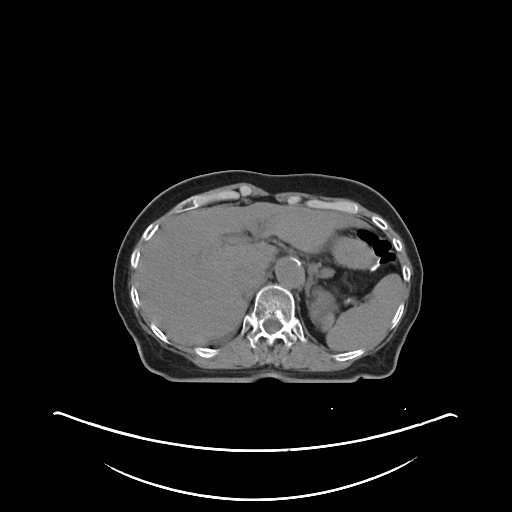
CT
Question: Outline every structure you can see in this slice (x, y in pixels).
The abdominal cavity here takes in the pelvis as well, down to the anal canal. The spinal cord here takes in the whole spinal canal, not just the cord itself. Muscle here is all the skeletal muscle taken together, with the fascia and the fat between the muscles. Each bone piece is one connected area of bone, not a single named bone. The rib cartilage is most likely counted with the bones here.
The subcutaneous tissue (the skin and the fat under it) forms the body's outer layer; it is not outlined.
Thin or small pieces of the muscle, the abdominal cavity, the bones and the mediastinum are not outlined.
Answer: Outlined structures:
spinal cord: (268, 319) (277, 319) (278, 320) (278, 321) (281, 324) (281, 327) (278, 330) (277, 330) (275, 332) (273, 332) (272, 333) (269, 333) (264, 328) (264, 326) (263, 325) (263, 323) (266, 320) (267, 320)
torso: (230, 169) (346, 177) (369, 185) (393, 205) (416, 244) (423, 267) (423, 283) (418, 315) (391, 374) (382, 378) (359, 378) (350, 383) (285, 383) (275, 378) (250, 383) (172, 382) (145, 367) (113, 298) (113, 270) (122, 239) (139, 212) (166, 188) (196, 175)
bones 1: (275, 283) (292, 293) (295, 302) (295, 316) (301, 323) (307, 340) (303, 342) (297, 338) (288, 348) (280, 338) (269, 345) (265, 338) (260, 337) (253, 348) (247, 338) (251, 327) (249, 326) (243, 334) (240, 333) (244, 317) (251, 312) (258, 290) (267, 284), around a hole outlined by (268, 319) (277, 319) (278, 320) (278, 321) (281, 324) (281, 327) (278, 330) (277, 330) (275, 332) (273, 332) (272, 333) (269, 333) (264, 328) (264, 326) (263, 325) (263, 323) (266, 320) (267, 320)
bones 2: (242, 186) (246, 186) (251, 190) (248, 195) (245, 195) (244, 196) (242, 195) (236, 199) (224, 199) (223, 200) (214, 201) (207, 203) (204, 205) (201, 205) (193, 209) (175, 212) (174, 207) (179, 202) (192, 195) (195, 194) (215, 193) (224, 190) (238, 190) (239, 188)
bones 3: (309, 199) (318, 199) (319, 200) (321, 200) (322, 201) (326, 201) (327, 202) (332, 202) (333, 201) (353, 201) (354, 202) (356, 202) (359, 205) (359, 210) (357, 213) (351, 213) (346, 211) (341, 211) (337, 209) (323, 208) (322, 207) (311, 207) (305, 203) (305, 201)
bones 4: (359, 348) (363, 348) (364, 349) (364, 352) (361, 355) (357, 357) (355, 357) (354, 358) (351, 358) (350, 359) (344, 360) (343, 361) (338, 361) (334, 359) (331, 356) (332, 354) (337, 354) (338, 353) (348, 352) (349, 351) (352, 351) (353, 350) (355, 350)
bones 5: (197, 346) (198, 346) (199, 347) (207, 347) (208, 348) (215, 348) (216, 349) (218, 349) (218, 352) (215, 355) (214, 355) (213, 356) (212, 356) (211, 357) (203, 357) (202, 356) (200, 356) (199, 355) (198, 355) (194, 351) (194, 347) (196, 347)
bones 6: (152, 222) (157, 222) (159, 224) (159, 225) (158, 226) (158, 227) (157, 228) (157, 229) (154, 232) (154, 233) (151, 236) (151, 237) (149, 239) (148, 239) (147, 240) (144, 240) (142, 238) (142, 233) (144, 231) (144, 230) (146, 228) (146, 227) (150, 223) (151, 223)
bones 7: (401, 302) (402, 302) (404, 304) (404, 309) (403, 310) (402, 315) (401, 316) (398, 323) (393, 328) (390, 328) (390, 325) (391, 324) (391, 321) (392, 320) (392, 318) (393, 317) (393, 316) (394, 315) (394, 314) (395, 313) (395, 312) (396, 311) (399, 304)
bones 8: (132, 285) (134, 285) (135, 286) (135, 287) (137, 290) (137, 292) (138, 293) (138, 296) (139, 297) (139, 299) (140, 300) (140, 305) (138, 308) (136, 308) (133, 305) (133, 304) (132, 303) (132, 301) (131, 300) (131, 298) (130, 297) (130, 288)
bones 9: (151, 322) (153, 322) (161, 330) (161, 331) (167, 337) (167, 338) (168, 339) (168, 340) (170, 342) (170, 343) (169, 344) (168, 343) (166, 343) (165, 342) (164, 342) (161, 339) (160, 339) (153, 332) (153, 331) (151, 329) (151, 328) (150, 327) (150, 323)
bones 10: (372, 215) (378, 215) (379, 216) (380, 216) (382, 218) (383, 218) (384, 219) (384, 220) (387, 223) (387, 224) (388, 225) (388, 228) (386, 230) (383, 230) (382, 229) (381, 229) (379, 227) (378, 227) (372, 221) (372, 220) (371, 219) (371, 217) (372, 216)
bones 11: (134, 248) (138, 248) (139, 249) (139, 250) (140, 251) (140, 254) (139, 255) (139, 259) (138, 260) (138, 262) (137, 263) (137, 267) (136, 268) (133, 268) (131, 266) (131, 265) (130, 264) (130, 256) (131, 255) (131, 253) (132, 252) (132, 251) (133, 250) (133, 249)
bones 12: (394, 237) (395, 238) (397, 238) (398, 239) (399, 239) (400, 240) (400, 241) (401, 242) (401, 243) (402, 244) (402, 250) (401, 251) (400, 251) (399, 252) (398, 252) (396, 250) (396, 249) (394, 247) (394, 246) (393, 245) (393, 244) (392, 243) (392, 238) (393, 238)
abdominal cavity: (245, 196) (271, 196) (289, 204) (357, 214) (384, 231) (398, 253) (404, 281) (389, 327) (371, 343) (343, 352) (332, 353) (312, 341) (296, 316) (306, 271) (287, 255) (276, 261) (255, 293) (236, 335) (213, 347) (168, 337) (141, 303) (136, 287) (140, 250) (170, 216)
muscle 1: (385, 219) (402, 238) (413, 266) (408, 307) (398, 328) (388, 342) (375, 353) (364, 356) (343, 369) (334, 371) (300, 371) (284, 369) (268, 364) (240, 369) (202, 368) (183, 356) (163, 348) (143, 330) (134, 314) (127, 289) (129, 260) (130, 266) (135, 269) (135, 285) (132, 284) (129, 288) (131, 303) (136, 309) (141, 304) (143, 306) (151, 320) (149, 323) (150, 329) (166, 344) (169, 345) (171, 343) (169, 338) (180, 344) (194, 346) (193, 351) (200, 357) (211, 358) (219, 352) (219, 349) (215, 346) (233, 338) (239, 333) (243, 335) (250, 327) (246, 338) (251, 348) (254, 349) (258, 340) (263, 338) (269, 346) (272, 346) (276, 340) (280, 339) (288, 349) (297, 339) (303, 343) (308, 340) (303, 325) (309, 335) (309, 339) (323, 346) (331, 353) (330, 356) (334, 360) (343, 362) (357, 358) (365, 352) (365, 346) (374, 342) (388, 328) (393, 329) (399, 323) (405, 309) (405, 304) (401, 300) (404, 291) (404, 282) (409, 282) (411, 279) (411, 268) (406, 264) (401, 264) (399, 253) (403, 250) (403, 244) (399, 238) (390, 237) (386, 233) (385, 231) (389, 228) (389, 225)
muscle 2: (240, 182) (250, 183) (272, 193) (286, 192) (287, 191) (299, 191) (315, 195) (322, 195) (329, 197) (342, 197) (353, 200) (327, 201) (318, 198) (309, 198) (306, 199) (304, 201) (304, 203) (303, 203) (301, 201) (302, 199) (299, 195) (291, 195) (286, 199) (286, 201) (282, 201) (278, 200) (271, 195) (258, 195) (257, 196) (249, 195) (252, 190) (246, 185) (242, 185) (238, 189) (224, 189) (215, 192) (200, 193) (224, 185) (239, 183)
muscle 3: (172, 207) (173, 207) (173, 209) (174, 210) (174, 212) (175, 213) (174, 213) (172, 215) (170, 215) (169, 216) (169, 217) (166, 218) (161, 223) (159, 223) (157, 221) (152, 221) (154, 219) (155, 219) (160, 215) (163, 214) (166, 211) (167, 211)
muscle 4: (358, 203) (361, 204) (366, 208) (367, 208) (368, 209) (369, 209) (370, 210) (371, 210) (380, 215) (379, 215) (378, 214) (372, 214) (371, 215) (370, 218) (369, 217) (367, 217) (366, 216) (364, 216) (363, 215) (359, 215) (358, 214) (358, 213) (360, 210) (360, 205)
muscle 5: (141, 234) (141, 238) (144, 241) (145, 241) (144, 242) (144, 243) (143, 244) (143, 245) (142, 246) (141, 249) (140, 249) (138, 247) (134, 247) (133, 248) (133, 247) (134, 246) (134, 245) (135, 244) (136, 241) (138, 239) (138, 238) (140, 236) (140, 235)
mediastinum: (287, 256) (293, 257) (298, 260) (302, 264) (305, 271) (305, 274) (303, 278) (303, 284) (298, 295) (299, 296) (298, 300) (296, 301) (293, 297) (293, 293) (290, 290) (279, 283) (276, 283) (275, 282) (274, 283) (267, 283) (261, 287) (268, 277) (277, 261) (280, 258)